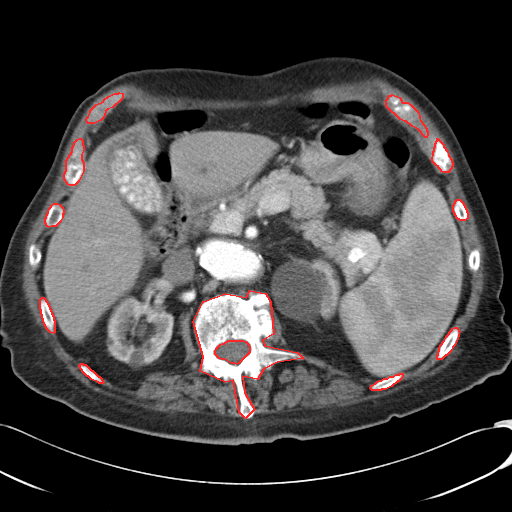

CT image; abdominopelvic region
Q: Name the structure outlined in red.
A: red: bones.
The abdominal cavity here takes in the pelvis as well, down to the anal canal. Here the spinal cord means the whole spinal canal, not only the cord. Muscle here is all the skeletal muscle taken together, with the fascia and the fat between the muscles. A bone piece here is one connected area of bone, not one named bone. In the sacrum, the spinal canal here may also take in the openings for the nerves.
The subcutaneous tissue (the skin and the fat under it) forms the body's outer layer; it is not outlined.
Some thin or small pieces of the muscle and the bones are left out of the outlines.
Outlines (x, y in pixels):
bones 1: 250 290; 265 293; 270 301; 273 334; 262 340; 264 345; 297 352; 303 358; 277 362; 263 369; 257 379; 242 376; 244 392; 254 409; 245 418; 239 412; 233 380; 225 382; 200 371; 203 356; 193 321; 203 301; 225 293; 246 297 with a hole at 228 340; 243 340; 245 341; 248 344; 249 346; 249 352; 238 363; 236 364; 234 363; 231 363; 224 359; 221 359; 219 358; 215 354; 215 350; 216 348; 220 344; 222 343; 224 343
bones 2: 392 94; 399 97; 402 102; 407 102; 410 104; 417 111; 419 115; 419 118; 420 120; 426 128; 426 130; 427 131; 427 135; 426 137; 425 137; 418 129; 412 126; 406 121; 404 121; 400 119; 386 106; 386 100; 389 95; 391 95
bones 3: 79 138; 80 138; 82 140; 82 144; 83 145; 83 150; 81 154; 81 159; 83 162; 83 171; 78 181; 74 185; 69 185; 67 184; 67 183; 64 179; 64 173; 66 170; 66 160; 72 151; 72 147; 74 144; 74 142; 77 139
bones 4: 119 92; 122 93; 122 97; 121 99; 112 107; 107 109; 105 111; 103 117; 100 120; 94 123; 88 123; 87 122; 86 120; 86 118; 88 116; 90 112; 90 110; 96 104; 103 101; 104 99; 108 96; 114 93; 118 93
bones 5: 437 138; 443 144; 443 146; 447 151; 448 155; 451 159; 451 161; 452 162; 452 166; 448 172; 443 172; 441 171; 441 170; 438 167; 438 166; 436 165; 432 161; 433 151; 434 150; 434 147; 435 146; 435 143; 437 140
bones 6: 454 327; 456 327; 459 331; 457 339; 454 345; 452 347; 450 351; 446 355; 445 355; 441 359; 437 359; 437 355; 438 354; 438 351; 439 350; 439 347; 440 345; 442 343; 442 342; 444 340; 446 336; 452 329; 452 328
bones 7: 54 203; 57 203; 59 204; 62 207; 63 209; 63 213; 62 214; 62 217; 60 221; 55 226; 51 226; 49 227; 47 226; 45 223; 45 218; 46 217; 46 215; 48 212; 48 210; 49 208; 51 206; 51 205
bones 8: 42 297; 43 297; 47 302; 47 303; 49 306; 49 308; 51 311; 51 313; 53 316; 53 319; 54 320; 54 332; 53 333; 50 332; 46 328; 46 327; 44 324; 43 319; 42 318; 42 315; 41 314; 41 310; 40 309; 40 299
bones 9: 400 373; 402 373; 402 376; 401 378; 398 381; 397 381; 391 386; 385 389; 381 389; 380 390; 372 390; 370 388; 371 385; 375 383; 377 381; 379 380; 381 380; 384 378; 387 378; 390 376; 393 376; 396 374; 399 374
bones 10: 457 199; 459 199; 463 203; 463 204; 464 205; 464 206; 466 209; 466 211; 467 212; 467 218; 464 220; 460 220; 459 219; 458 219; 456 217; 456 216; 455 215; 455 214; 453 211; 453 205; 454 204; 454 203; 455 202; 455 201
bones 11: 81 363; 82 363; 83 364; 85 364; 91 370; 92 370; 98 376; 99 376; 101 378; 101 379; 103 382; 102 383; 99 383; 98 382; 91 379; 88 376; 87 376; 82 371; 82 370; 80 368; 80 367; 79 366; 79 365
muscle 1: 370 75; 410 97; 444 136; 484 247; 483 289; 455 360; 374 400; 251 418; 255 409; 245 392; 244 375; 257 380; 263 370; 307 355; 376 381; 369 388; 380 391; 438 348; 436 359; 441 360; 458 339; 460 331; 453 326; 468 301; 470 271; 479 269; 480 251; 474 247; 467 257; 458 223; 468 218; 467 209; 459 198; 452 206; 444 175; 433 164; 448 173; 453 166; 448 151; 437 137; 431 160; 401 121; 426 138; 418 111; 392 93; 385 106; 372 100; 296 100; 238 109; 187 106; 144 112; 127 107; 105 116; 83 161; 83 140; 77 138; 63 173; 66 184; 73 186; 70 196; 63 207; 54 202; 48 208; 44 223; 53 229; 41 249; 35 242; 28 247; 29 265; 39 264; 39 309; 45 328; 52 334; 55 330; 91 380; 140 381; 185 359; 180 321; 192 310; 192 331; 202 356; 199 371; 225 383; 232 380; 239 415; 248 419; 148 410; 94 391; 69 373; 26 303; 24 248; 71 135; 96 98; 133 83; 160 96; 257 101 with a hole at 119 92; 122 93; 122 97; 121 99; 112 107; 107 109; 105 111; 103 117; 100 120; 94 123; 88 123; 87 122; 86 120; 86 118; 88 116; 90 112; 90 110; 96 104; 103 101; 104 99; 108 96; 114 93; 118 93
muscle 2: 271 310; 271 311; 272 312; 273 312; 278 318; 281 324; 281 334; 285 340; 285 345; 290 350; 291 350; 285 350; 284 349; 281 349; 280 348; 268 347; 265 345; 264 341; 263 340; 270 340; 274 334; 274 320; 273 319; 273 316; 272 315; 272 313; 271 312
spinal cord: 228 340; 243 340; 245 341; 248 344; 249 346; 249 352; 238 363; 236 364; 234 363; 231 363; 224 359; 221 359; 219 358; 215 354; 215 350; 216 348; 220 344; 222 343; 224 343
torso: 332 55; 367 59; 401 75; 435 104; 454 131; 501 254; 499 297; 511 328; 506 369; 441 402; 371 427; 239 445; 178 441; 109 425; 35 392; 16 377; 9 351; 0 346; 0 272; 14 228; 79 103; 130 70; 194 67; 260 74
abdominal cavity: 296 101; 386 107; 443 175; 470 285; 439 346; 413 369; 359 377; 290 349; 270 298; 250 289; 203 300; 192 322; 192 309; 182 313; 184 359; 140 380; 111 382; 70 353; 40 290; 42 248; 106 116; 127 108; 238 110